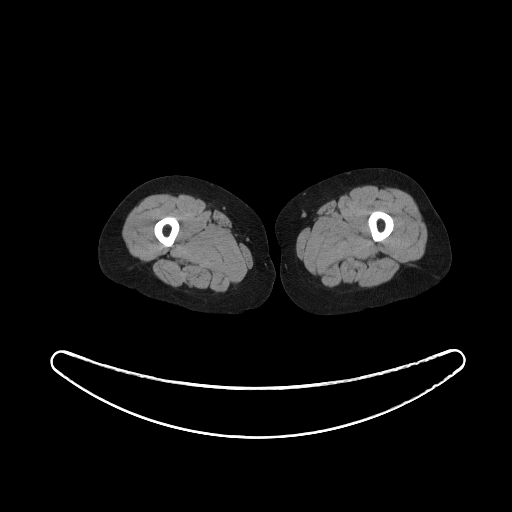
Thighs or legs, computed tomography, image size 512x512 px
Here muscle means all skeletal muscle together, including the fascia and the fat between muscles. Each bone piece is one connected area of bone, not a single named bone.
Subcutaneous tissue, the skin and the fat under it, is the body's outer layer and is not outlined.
The right leg is outlined by (174, 174) (201, 178) (225, 188) (249, 205) (261, 219) (265, 227) (269, 253) (275, 269) (275, 279) (271, 293) (261, 305) (237, 315) (202, 313) (146, 297) (135, 289) (114, 283) (102, 273) (97, 257) (98, 240) (102, 228) (113, 210) (122, 199) (138, 185) (152, 178). The bones appear in 2 outlined pieces: piece 1: (376, 210) (380, 210) (381, 211) (383, 211) (389, 214) (392, 217) (393, 219) (393, 229) (391, 233) (382, 241) (374, 241) (374, 240) (372, 238) (372, 236) (371, 235) (371, 233) (370, 232) (370, 230) (368, 226) (368, 218) (371, 212) (373, 211) (375, 211); piece 2: (165, 216) (173, 216) (177, 219) (177, 220) (179, 223) (179, 230) (178, 231) (178, 233) (177, 234) (177, 235) (171, 246) (164, 246) (156, 238) (156, 237) (154, 234) (154, 225) (155, 224) (155, 223) (157, 221) (158, 221) (160, 219) (161, 219). The left leg is outlined by (364, 167) (387, 167) (399, 170) (412, 177) (423, 188) (448, 232) (452, 251) (451, 266) (446, 276) (438, 284) (414, 297) (355, 313) (330, 316) (315, 315) (296, 305) (287, 295) (282, 286) (279, 273) (280, 248) (274, 232) (275, 221) (286, 203) (307, 187) (338, 173). The muscle appears in 2 outlined pieces: piece 1: (374, 182) (386, 182) (398, 186) (407, 191) (415, 201) (428, 232) (425, 252) (423, 256) (417, 261) (416, 265) (404, 267) (393, 280) (382, 287) (354, 294) (317, 292) (304, 281) (295, 269) (295, 244) (297, 236) (303, 224) (314, 211) (324, 203) (348, 192) (354, 187), around a hole outlined by (376, 210) (380, 210) (381, 211) (383, 211) (389, 214) (392, 217) (393, 219) (393, 229) (391, 233) (382, 241) (374, 241) (374, 240) (372, 238) (372, 236) (371, 235) (371, 233) (370, 232) (370, 230) (368, 226) (368, 218) (371, 212) (373, 211) (375, 211); piece 2: (169, 191) (192, 191) (202, 193) (219, 202) (246, 231) (253, 246) (255, 265) (249, 284) (244, 289) (234, 294) (216, 295) (212, 297) (184, 293) (160, 283) (150, 273) (145, 264) (141, 263) (129, 253) (121, 235) (122, 227) (127, 215) (135, 206) (137, 201) (156, 192) with a hole at (165, 216) (173, 216) (177, 219) (177, 220) (179, 223) (179, 230) (178, 231) (178, 233) (177, 234) (177, 235) (171, 246) (164, 246) (156, 238) (156, 237) (154, 234) (154, 225) (155, 224) (155, 223) (157, 221) (158, 221) (160, 219) (161, 219).